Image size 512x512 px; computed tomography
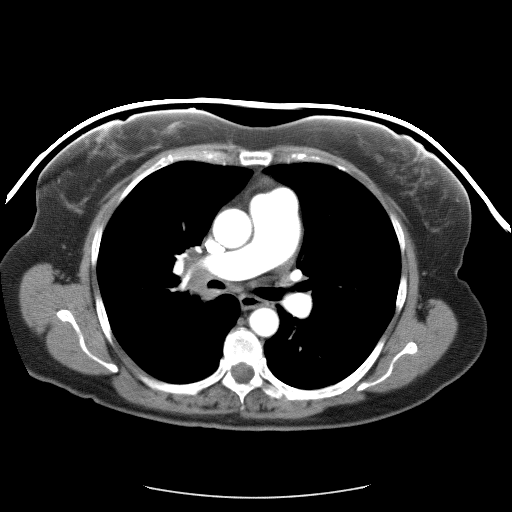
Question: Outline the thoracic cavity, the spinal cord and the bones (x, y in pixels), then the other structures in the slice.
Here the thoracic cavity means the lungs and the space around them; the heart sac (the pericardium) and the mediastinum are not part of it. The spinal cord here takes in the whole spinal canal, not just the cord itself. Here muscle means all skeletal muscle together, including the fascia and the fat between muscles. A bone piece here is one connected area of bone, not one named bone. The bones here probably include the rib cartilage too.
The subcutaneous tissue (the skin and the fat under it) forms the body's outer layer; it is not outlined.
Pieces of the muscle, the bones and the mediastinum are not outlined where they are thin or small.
Answer: {"thoracic_cavity":[[[179,161],[236,165],[252,171],[244,186],[219,208],[198,246],[198,258],[203,274],[223,294],[236,298],[239,315],[224,337],[222,355],[215,370],[199,380],[186,383],[172,383],[151,376],[122,348],[108,319],[96,269],[103,232],[114,210],[140,181]],[[298,162],[329,165],[361,183],[388,215],[398,242],[401,262],[394,312],[372,350],[352,372],[342,379],[310,389],[292,386],[279,379],[269,368],[263,347],[279,329],[280,317],[277,305],[293,284],[304,239],[303,216],[297,195],[264,170],[271,164]]],"spinal_cord":[[[239,363],[244,363],[246,365],[249,366],[252,369],[252,370],[253,371],[253,375],[251,377],[251,378],[247,382],[238,382],[233,377],[233,376],[232,375],[232,372],[231,371],[232,370],[232,368],[234,366],[237,365]]],"bones":[{"outer":[[240,326],[261,342],[266,364],[279,380],[305,390],[342,380],[383,335],[385,342],[366,373],[340,394],[288,400],[256,387],[245,395],[241,409],[239,396],[219,381],[190,395],[153,389],[137,376],[139,372],[172,384],[199,381],[216,370],[226,335]],"hole":[[239,363],[244,363],[246,365],[249,366],[252,369],[252,370],[253,371],[253,375],[251,377],[251,378],[247,382],[238,382],[233,377],[233,376],[232,375],[232,372],[231,371],[232,370],[232,368],[234,366],[237,365]]},[[192,147],[225,151],[232,154],[236,154],[241,148],[248,150],[271,150],[275,157],[269,165],[253,164],[243,166],[238,164],[222,165],[198,160],[175,161],[150,173],[140,180],[115,208],[118,197],[124,188],[136,176],[162,156],[165,156],[172,151]],[[60,309],[67,309],[71,312],[76,323],[78,325],[82,333],[83,339],[87,348],[95,356],[101,360],[115,364],[118,368],[117,372],[111,372],[106,367],[91,358],[83,351],[79,344],[78,336],[73,326],[68,321],[62,321],[56,315],[56,312]],[[289,152],[291,152],[294,154],[320,154],[323,156],[326,156],[346,167],[350,171],[351,175],[342,170],[338,169],[332,165],[320,162],[312,162],[311,161],[298,161],[290,163],[278,162],[277,160],[278,156],[284,153],[288,153]],[[410,341],[413,341],[417,345],[417,350],[414,353],[404,353],[401,355],[395,361],[391,373],[382,381],[374,385],[368,386],[362,390],[359,391],[356,390],[358,385],[360,383],[362,382],[372,382],[382,376],[387,371],[390,362],[393,357]],[[99,291],[99,293],[101,296],[101,299],[106,312],[107,319],[109,322],[109,325],[110,326],[112,334],[114,337],[113,339],[113,345],[111,345],[106,338],[102,330],[102,328],[97,315],[96,307],[95,306],[95,295],[97,292]],[[101,223],[102,223],[104,225],[104,228],[102,232],[102,235],[101,236],[101,239],[100,240],[100,243],[99,244],[99,249],[98,250],[98,254],[97,255],[96,265],[95,267],[93,267],[91,264],[91,245],[92,244],[92,240],[94,236],[95,230]],[[402,274],[404,274],[407,278],[407,289],[406,290],[406,295],[405,296],[405,300],[403,303],[403,305],[399,313],[398,314],[396,314],[395,313],[395,303],[396,302],[396,298],[397,297],[397,293],[398,292],[398,288],[399,287],[400,278]],[[390,212],[393,213],[398,219],[400,223],[402,231],[403,232],[403,235],[404,236],[404,241],[405,242],[405,247],[404,248],[404,251],[403,253],[401,253],[399,242],[398,241],[395,230],[393,227],[392,222],[389,216],[389,213]]],"muscle":[{"outer":[[229,141],[247,148],[241,147],[236,153],[192,146],[162,155],[123,188],[105,226],[101,222],[94,230],[90,264],[96,270],[99,290],[94,295],[96,315],[108,343],[113,346],[115,338],[146,373],[138,371],[138,379],[153,390],[190,396],[219,382],[238,396],[243,410],[246,395],[256,388],[271,398],[284,397],[288,401],[340,395],[357,383],[377,360],[386,342],[383,334],[394,313],[400,313],[407,295],[408,278],[401,273],[401,254],[406,247],[401,223],[393,212],[387,213],[346,166],[331,157],[289,151],[278,155],[277,162],[273,162],[275,153],[271,149],[260,149],[279,144],[317,146],[342,157],[363,171],[404,213],[415,247],[419,301],[424,303],[429,298],[445,301],[458,321],[449,347],[424,374],[400,388],[369,393],[362,401],[330,406],[306,417],[258,419],[245,418],[238,413],[185,414],[148,408],[119,395],[107,376],[76,371],[50,355],[44,341],[26,324],[20,311],[18,289],[23,273],[34,264],[48,262],[63,273],[61,283],[76,282],[89,226],[101,199],[115,183],[163,150]],"holes":[[[60,309],[67,309],[71,312],[76,323],[78,325],[82,333],[83,339],[87,348],[95,356],[101,360],[115,364],[118,368],[117,372],[111,372],[106,367],[91,358],[83,351],[79,344],[78,336],[73,326],[68,321],[62,321],[56,315],[56,312]],[[410,341],[413,341],[417,345],[417,350],[414,353],[404,353],[401,355],[395,361],[391,373],[382,381],[374,385],[368,386],[362,390],[359,391],[356,390],[358,385],[360,383],[362,382],[372,382],[382,376],[387,371],[390,362],[393,357]]]}],"pericardium":[[[262,175],[267,176],[275,182],[288,187],[295,194],[299,206],[302,227],[300,250],[294,264],[288,272],[283,273],[279,278],[269,283],[263,284],[240,284],[215,275],[209,269],[204,261],[203,250],[211,228],[222,210],[227,205],[233,202],[256,177]]],"mediastinum":[[[253,165],[267,166],[263,172],[285,185],[256,176],[219,213],[202,258],[215,276],[240,285],[269,284],[297,259],[292,284],[276,305],[278,329],[263,344],[245,326],[232,328],[239,302],[204,274],[199,258],[216,214],[245,186],[253,174],[245,167]]],"torso":[[[148,112],[199,112],[263,126],[310,118],[352,120],[421,146],[451,172],[471,206],[470,236],[457,273],[487,319],[477,360],[430,399],[399,414],[349,427],[296,431],[164,423],[32,377],[8,321],[0,260],[30,228],[36,180],[50,161],[84,134]]]}